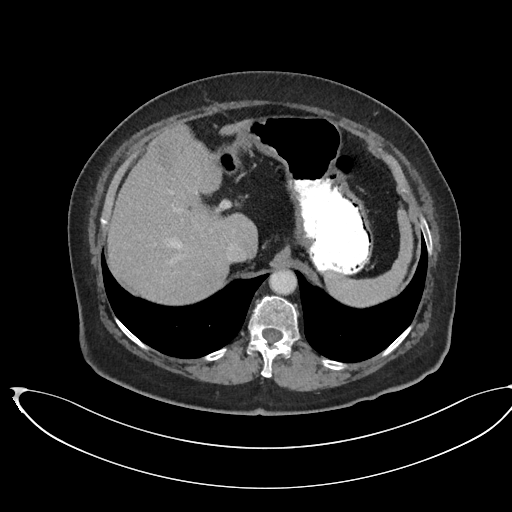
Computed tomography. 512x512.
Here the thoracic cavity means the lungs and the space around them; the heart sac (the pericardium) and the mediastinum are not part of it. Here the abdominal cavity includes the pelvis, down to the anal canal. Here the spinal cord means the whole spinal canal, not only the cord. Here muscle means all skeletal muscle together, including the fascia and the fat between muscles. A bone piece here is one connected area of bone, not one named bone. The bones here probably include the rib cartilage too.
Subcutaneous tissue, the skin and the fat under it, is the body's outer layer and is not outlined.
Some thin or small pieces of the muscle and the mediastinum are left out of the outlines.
The thoracic cavity appears in 2 outlined pieces: piece 1: 102 254; 109 272; 126 292; 136 298; 168 307; 189 306; 201 302; 234 280; 254 278; 266 273; 267 276; 255 290; 250 302; 249 307; 251 309; 239 332; 230 342; 201 357; 183 358; 163 353; 145 343; 115 314; 104 286; 101 268; piece 2: 420 230; 426 248; 427 266; 424 287; 411 322; 380 352; 363 360; 354 362; 340 361; 325 357; 314 350; 306 341; 302 331; 302 305; 296 271; 299 271; 310 284; 319 288; 338 303; 355 309; 370 308; 397 297; 412 279; 421 251. The mediastinum is outlined by 284 262; 289 262; 298 266; 303 272; 303 274; 297 269; 295 271; 299 287; 299 295; 301 305; 300 316; 300 312; 291 301; 283 296; 280 296; 276 294; 264 294; 255 301; 252 307; 250 307; 256 290; 268 276; 268 272; 277 264. The bones appear in 8 outlined pieces: piece 1: 264 295; 283 297; 295 306; 299 312; 298 326; 301 334; 301 338; 292 344; 291 354; 288 358; 280 353; 272 360; 271 377; 269 378; 261 375; 264 364; 262 355; 257 350; 251 353; 247 353; 246 351; 250 336; 245 327; 256 301; inner edge: 268 328; 270 328; 271 329; 275 329; 276 330; 278 330; 281 333; 281 337; 278 340; 277 340; 276 341; 275 341; 274 342; 273 342; 272 343; 271 343; 270 344; 268 342; 268 341; 263 336; 263 330; 264 329; 267 329; piece 2: 134 152; 137 152; 137 153; 129 164; 128 167; 117 184; 117 186; 114 191; 112 197; 112 203; 109 212; 107 214; 107 222; 104 228; 101 229; 100 226; 100 216; 103 211; 105 201; 113 177; 120 166; 121 166; 129 156; piece 3: 379 151; 384 151; 385 152; 387 152; 389 154; 390 154; 398 162; 403 172; 405 180; 407 184; 409 186; 409 191; 408 192; 402 192; 401 188; 400 187; 400 185; 396 180; 395 175; 392 169; 390 167; 390 166; 382 158; 379 153; piece 4: 420 215; 423 215; 424 216; 428 224; 428 226; 430 230; 430 233; 431 234; 431 237; 432 238; 432 246; 433 248; 432 249; 432 253; 431 255; 429 256; 428 256; 428 254; 427 253; 427 248; 423 237; 423 234; 419 226; 418 218; piece 5: 114 315; 115 315; 118 318; 118 319; 134 335; 135 335; 145 344; 148 345; 153 349; 151 350; 144 350; 142 348; 138 346; 134 342; 133 342; 122 331; 122 330; 118 326; 118 325; 116 323; 116 322; 113 318; 113 316; piece 6: 411 323; 412 323; 412 327; 411 328; 411 329; 409 331; 409 332; 407 334; 407 335; 404 338; 404 339; 397 346; 397 347; 396 348; 395 348; 390 353; 389 353; 387 355; 386 355; 385 356; 381 356; 379 354; 385 348; 386 348; piece 7: 324 357; 325 358; 327 358; 331 360; 335 360; 336 361; 339 361; 340 362; 344 362; 345 363; 347 363; 347 366; 343 369; 339 369; 338 370; 336 369; 331 369; 330 368; 325 367; 321 363; 321 361; 320 360; piece 8: 225 346; 227 348; 227 350; 225 352; 225 353; 223 355; 223 356; 222 357; 221 357; 218 359; 216 359; 215 360; 212 360; 211 361; 207 361; 202 358; 202 357; 203 356; 204 356; 211 352; 213 352; 216 350; 218 350. The abdominal cavity is outlined by 264 105; 328 118; 361 138; 389 166; 417 217; 420 234; 413 275; 397 296; 366 308; 350 307; 310 283; 289 261; 277 263; 267 273; 234 279; 209 297; 181 306; 136 297; 116 281; 102 253; 104 241; 125 177; 150 142; 188 121. The muscle is outlined by 244 99; 273 100; 286 102; 287 101; 317 106; 320 108; 332 111; 371 128; 384 138; 390 141; 403 153; 416 169; 431 195; 433 200; 434 210; 439 225; 439 241; 441 246; 438 254; 435 271; 435 281; 432 296; 432 314; 429 327; 420 338; 419 341; 406 352; 391 360; 376 371; 364 377; 335 387; 319 389; 316 391; 302 391; 301 392; 281 387; 268 379; 252 380; 245 383; 234 385; 223 385; 199 381; 164 369; 132 353; 113 337; 105 328; 99 318; 89 259; 87 226; 90 204; 94 189; 100 173; 106 164; 107 160; 113 152; 126 139; 129 138; 137 131; 156 121; 176 113; 201 106; 209 105; 215 102; 224 102; inner edges: 264 105; 328 118; 361 138; 378 156; 379 151; 390 154; 401 167; 409 186; 405 194; 415 215; 424 216; 433 248; 412 327; 385 356; 377 353; 338 370; 325 367; 320 360; 324 356; 303 335; 300 316; 301 338; 292 344; 288 358; 275 356; 271 377; 266 378; 261 375; 262 355; 246 351; 248 315; 225 345; 223 356; 211 361; 144 350; 113 318; 101 255; 130 169; 150 142; 168 129, then 134 152; 137 152; 137 153; 129 164; 128 167; 117 184; 117 186; 114 191; 112 197; 112 203; 109 212; 107 214; 107 222; 104 228; 101 229; 100 226; 100 216; 103 211; 105 201; 113 177; 120 166; 121 166; 129 156. The spinal cord is outlined by 268 328; 270 328; 271 329; 275 329; 276 330; 278 330; 281 333; 281 337; 278 340; 277 340; 276 341; 275 341; 274 342; 273 342; 272 343; 271 343; 270 344; 268 342; 268 341; 263 336; 263 330; 264 329; 267 329. The torso is outlined by 243 70; 301 72; 356 88; 405 118; 431 151; 456 202; 461 260; 449 349; 440 366; 418 382; 337 409; 239 415; 192 409; 142 395; 98 374; 84 359; 78 341; 78 310; 67 244; 68 205; 80 170; 108 133; 144 102; 195 79.